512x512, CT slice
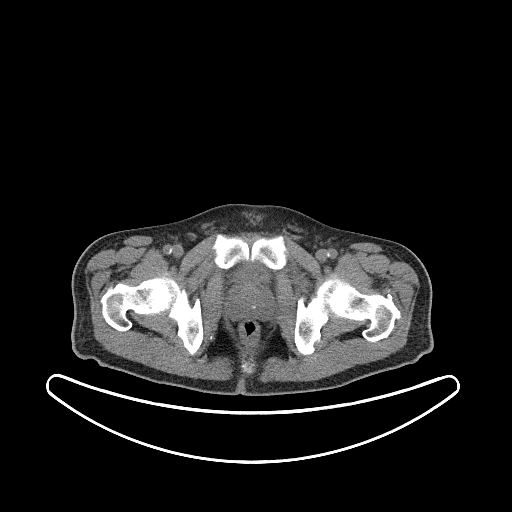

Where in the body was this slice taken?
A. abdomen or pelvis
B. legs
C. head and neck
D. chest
Answer: A. abdomen or pelvis
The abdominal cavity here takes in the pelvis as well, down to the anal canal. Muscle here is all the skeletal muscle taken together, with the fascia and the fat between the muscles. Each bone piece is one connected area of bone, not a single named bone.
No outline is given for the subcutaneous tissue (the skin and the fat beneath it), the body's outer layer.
The muscle appears in 2 outlined pieces: piece 1: 213,233 217,233 211,245 213,262 226,271 222,283 223,313 246,352 260,344 276,317 275,271 281,270 288,261 283,235 321,264 330,265 350,244 357,242 378,244 404,259 419,281 405,345 385,358 320,379 270,382 261,382 255,377 240,379 236,369 228,380 181,376 109,352 93,335 85,277 91,257 117,239 144,235 156,237 158,246 179,261, around holes outlined by 335,276 364,294 378,293 385,296 389,292 401,316 394,321 394,327 387,337 374,342 366,340 362,335 368,320 330,317 320,329 320,340 314,343 314,351 303,355 294,341 297,301 303,296 306,304 322,282 and by 161,276 172,278 183,288 191,305 196,297 199,298 203,338 193,355 178,336 177,323 165,312 138,314 129,310 127,315 132,325 125,331 119,331 109,325 102,315 100,299 110,286 119,282 134,286 144,280 and by 221,320 221,324 223,328 231,337 232,343 237,350 236,352 236,357 237,358 236,362 238,363 237,366 234,365 235,361 230,356 224,354 212,354 209,351 209,347 211,343 216,338 217,330 219,326 219,323 and by 277,326 279,330 280,336 284,340 284,342 286,346 286,353 285,355 281,355 280,354 273,354 263,359 259,359 258,360 257,358 262,353 262,352 267,348 269,344 269,342 270,341 270,338 272,334 277,328 and by 246,361 247,362 248,362 250,364 251,364 252,365 252,368 253,369 253,372 252,373 246,373 245,372 244,372 242,370 242,368 241,367 241,364 242,363 243,363 244,362 245,362; piece 2: 240,231 255,231 256,232 266,231 267,232 281,234 278,234 275,236 271,236 270,237 260,236 255,239 251,245 249,246 248,243 240,236 237,236 236,235 228,236 224,234 232,233 233,232 239,232. The abdominal cavity is outlined by 241,261 251,262 258,261 262,263 274,271 275,279 276,313 273,323 271,324 268,331 262,337 259,344 250,351 246,351 240,345 240,342 236,337 235,330 224,313 224,293 223,292 224,274 227,272 226,270. The bones appear in 4 outlined pieces: piece 1: 335,276 364,294 378,293 385,296 389,292 401,316 394,321 394,327 387,337 374,342 366,340 362,335 368,320 330,317 320,329 320,340 314,343 314,351 303,355 294,341 297,301 303,296 306,304 322,282; piece 2: 161,276 172,278 183,288 191,305 196,297 199,298 203,338 193,355 178,336 177,323 165,312 138,314 129,310 127,315 132,325 125,331 119,331 109,325 102,315 100,299 110,286 119,282 134,286 144,280; piece 3: 218,233 228,237 233,236 240,237 247,243 249,247 252,245 255,240 260,237 270,238 282,235 287,249 286,264 281,269 274,270 258,260 254,261 241,260 227,269 220,268 214,262 215,255 212,249 212,245; piece 4: 246,361 247,362 248,362 250,364 251,364 252,365 252,368 253,369 253,372 252,373 246,373 245,372 244,372 242,370 242,368 241,367 241,364 242,363 243,363 244,362 245,362. The torso is outlined by 231,203 284,206 333,227 393,240 408,247 423,263 431,282 432,350 414,363 340,387 268,396 205,393 156,383 101,366 93,359 78,357 71,348 74,315 71,277 84,249 100,236 111,232 174,222 209,208.